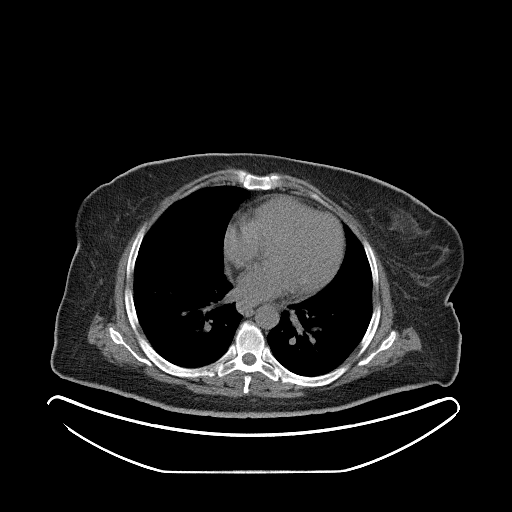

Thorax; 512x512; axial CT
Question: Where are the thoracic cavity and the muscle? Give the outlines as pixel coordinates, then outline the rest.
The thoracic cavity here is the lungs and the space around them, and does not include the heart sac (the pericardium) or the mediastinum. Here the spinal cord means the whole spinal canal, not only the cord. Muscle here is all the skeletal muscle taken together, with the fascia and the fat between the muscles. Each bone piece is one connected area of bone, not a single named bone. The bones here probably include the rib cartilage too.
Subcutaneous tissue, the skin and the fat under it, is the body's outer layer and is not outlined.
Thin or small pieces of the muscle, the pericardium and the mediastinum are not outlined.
Answer: The thoracic cavity appears in 2 outlined pieces: piece 1: (210, 185) (240, 186) (246, 189) (248, 193) (230, 217) (223, 240) (223, 273) (232, 285) (232, 300) (236, 311) (241, 315) (241, 319) (233, 340) (217, 359) (205, 365) (186, 367) (163, 357) (146, 338) (140, 326) (134, 303) (133, 274) (145, 234) (161, 214) (175, 201); piece 2: (344, 223) (360, 241) (370, 269) (372, 282) (372, 311) (370, 319) (358, 345) (339, 366) (319, 375) (308, 376) (298, 374) (288, 369) (274, 356) (266, 338) (270, 330) (279, 323) (283, 311) (290, 304) (298, 303) (313, 296) (334, 277) (342, 263) (346, 249). The muscle is outlined by (229, 167) (236, 168) (232, 171) (231, 179) (238, 184) (198, 183) (171, 203) (147, 231) (146, 222) (139, 227) (125, 267) (125, 278) (128, 282) (132, 279) (132, 288) (128, 284) (125, 286) (123, 299) (128, 322) (145, 356) (139, 355) (111, 326) (108, 333) (114, 343) (122, 345) (138, 361) (180, 378) (216, 375) (221, 378) (235, 370) (241, 371) (244, 373) (244, 394) (249, 392) (251, 374) (255, 372) (284, 384) (311, 388) (328, 385) (350, 367) (349, 363) (342, 364) (358, 346) (356, 356) (363, 354) (377, 330) (382, 309) (378, 303) (373, 308) (373, 288) (376, 290) (379, 283) (374, 250) (369, 241) (366, 238) (360, 240) (318, 194) (310, 192) (308, 195) (291, 187) (282, 187) (284, 180) (280, 174) (268, 174) (279, 172) (308, 181) (358, 220) (385, 270) (395, 311) (393, 325) (400, 330) (412, 326) (421, 340) (422, 350) (409, 351) (399, 362) (342, 385) (311, 391) (304, 396) (279, 398) (195, 393) (182, 385) (159, 381) (112, 363) (95, 345) (90, 344) (87, 332) (95, 314) (98, 312) (109, 320) (115, 313) (113, 295) (119, 259) (128, 240) (148, 213) (185, 183), around a hole outlined by (392, 330) (394, 330) (396, 334) (395, 336) (395, 339) (393, 341) (392, 344) (388, 348) (384, 349) (383, 350) (381, 350) (379, 352) (378, 352) (366, 364) (364, 364) (363, 365) (358, 365) (357, 363) (360, 360) (365, 358) (378, 348) (381, 342) (389, 335) (390, 332). The mediastinum appears in 2 outlined pieces: piece 1: (232, 283) (240, 292) (247, 294) (248, 296) (251, 296) (257, 300) (272, 302) (276, 304) (289, 304) (282, 311) (278, 323) (269, 330) (265, 338) (261, 329) (254, 323) (248, 320) (244, 320) (240, 323) (242, 315) (237, 311) (233, 300) (234, 294) (232, 291) (233, 289); piece 2: (276, 188) (291, 188) (297, 190) (298, 192) (306, 194) (319, 203) (316, 203) (305, 197) (302, 197) (297, 193) (296, 194) (287, 192) (266, 193) (263, 195) (259, 195) (246, 203) (237, 211) (230, 221) (231, 217) (240, 204) (247, 198) (249, 194) (247, 190) (270, 190). The torso is outlined by (235, 152) (280, 155) (368, 175) (409, 193) (456, 228) (463, 244) (464, 263) (448, 298) (461, 333) (458, 371) (451, 384) (431, 384) (331, 412) (234, 418) (162, 409) (61, 378) (52, 370) (56, 314) (76, 249) (74, 221) (82, 200) (96, 187) (141, 164) (194, 154). The bones appear in 8 outlined pieces: piece 1: (127, 285) (139, 332) (178, 366) (214, 362) (239, 325) (248, 321) (293, 373) (313, 377) (349, 367) (332, 382) (313, 387) (274, 381) (255, 371) (247, 393) (245, 373) (238, 369) (221, 377) (172, 375) (138, 360) (111, 338) (113, 328) (139, 356) (146, 356) (127, 316) with a hole at (247, 353) (250, 353) (251, 354) (252, 354) (255, 357) (255, 360) (254, 361) (254, 362) (253, 363) (252, 363) (251, 364) (247, 364) (246, 363) (245, 363) (243, 361) (243, 360) (242, 359) (242, 357) (245, 354) (246, 354); piece 2: (236, 169) (242, 169) (249, 173) (251, 173) (255, 175) (270, 175) (271, 174) (278, 174) (282, 177) (282, 179) (283, 180) (283, 184) (281, 187) (276, 187) (275, 188) (271, 188) (270, 189) (247, 189) (241, 186) (236, 181) (234, 181) (232, 179) (233, 171); piece 3: (144, 223) (146, 223) (146, 231) (144, 234) (144, 236) (142, 239) (142, 241) (140, 244) (140, 246) (137, 253) (137, 256) (134, 264) (132, 278) (129, 279) (128, 281) (126, 278) (126, 267) (127, 266) (127, 260) (128, 259) (129, 252) (137, 232) (139, 230) (140, 227); piece 4: (378, 304) (380, 306) (381, 309) (380, 310) (379, 322) (376, 328) (376, 330) (365, 350) (362, 353) (362, 354) (359, 356) (357, 356) (360, 341) (362, 339) (368, 327) (369, 322) (371, 319) (373, 309) (374, 307); piece 5: (363, 239) (366, 239) (368, 241) (373, 250) (373, 252) (375, 256) (376, 264) (377, 265) (377, 274) (378, 275) (378, 283) (377, 284) (377, 288) (376, 289) (373, 287) (371, 269) (369, 265) (369, 262) (368, 261) (366, 253) (364, 250) (363, 245) (361, 242); piece 6: (392, 330) (394, 330) (396, 334) (395, 336) (395, 339) (393, 341) (392, 344) (388, 348) (384, 349) (383, 350) (381, 350) (379, 352) (378, 352) (366, 364) (364, 364) (363, 365) (358, 365) (357, 363) (360, 360) (365, 358) (378, 348) (381, 342) (389, 335) (390, 332); piece 7: (310, 193) (314, 193) (315, 194) (318, 195) (324, 201) (325, 201) (331, 207) (331, 208) (329, 208) (328, 207) (327, 207) (326, 206) (323, 205) (321, 203) (318, 202) (315, 199) (312, 198) (309, 195) (309, 194); piece 8: (201, 183) (205, 183) (205, 185) (204, 186) (202, 186) (201, 187) (198, 188) (196, 190) (191, 192) (189, 194) (188, 194) (181, 198) (179, 198) (180, 197) (180, 196) (186, 191) (187, 191) (189, 189) (192, 188) (194, 186) (195, 186) (198, 184) (200, 184). The pericardium is outlined by (272, 193) (297, 194) (298, 196) (316, 204) (321, 204) (333, 210) (341, 218) (343, 223) (342, 227) (345, 237) (345, 249) (337, 271) (319, 291) (300, 301) (276, 303) (257, 299) (240, 291) (226, 274) (224, 263) (224, 240) (230, 222) (238, 211) (246, 204) (259, 196). The spinal cord is outlined by (247, 353) (250, 353) (251, 354) (252, 354) (255, 357) (255, 360) (254, 361) (254, 362) (253, 363) (252, 363) (251, 364) (247, 364) (246, 363) (245, 363) (243, 361) (243, 360) (242, 359) (242, 357) (245, 354) (246, 354).